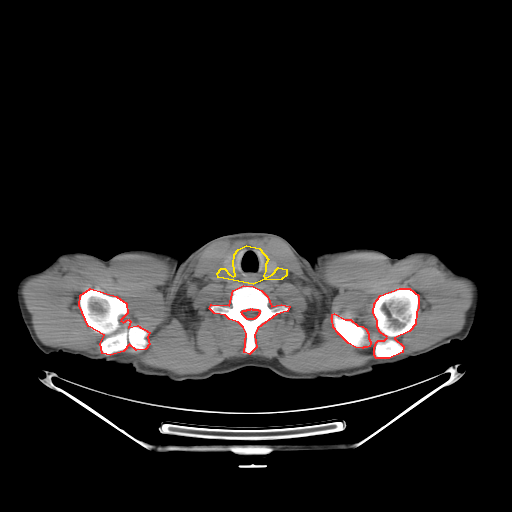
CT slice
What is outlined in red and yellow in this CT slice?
red: bones; yellow: middle of the neck.
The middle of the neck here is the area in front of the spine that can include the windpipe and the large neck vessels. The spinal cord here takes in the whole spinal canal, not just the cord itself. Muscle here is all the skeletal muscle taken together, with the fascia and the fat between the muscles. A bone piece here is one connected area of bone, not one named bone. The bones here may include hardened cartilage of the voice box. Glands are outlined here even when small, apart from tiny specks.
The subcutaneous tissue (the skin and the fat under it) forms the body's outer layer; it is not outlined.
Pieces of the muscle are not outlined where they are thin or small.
{"bones":[[[90,288],[116,296],[126,303],[127,313],[120,320],[123,322],[128,319],[130,321],[128,327],[137,325],[149,332],[147,337],[149,344],[145,349],[136,350],[129,344],[123,351],[110,355],[102,353],[100,343],[104,335],[88,326],[79,305],[80,295]],[[399,288],[409,288],[418,295],[418,307],[416,312],[415,324],[409,331],[394,338],[403,346],[402,352],[389,358],[376,358],[374,355],[374,348],[376,342],[378,340],[384,340],[387,337],[380,332],[377,327],[377,321],[373,312],[374,303],[380,295]],{"outer":[[243,285],[253,286],[261,290],[267,296],[271,306],[281,304],[289,306],[287,311],[276,314],[257,328],[254,335],[256,347],[249,354],[244,352],[246,333],[243,327],[238,322],[229,319],[225,315],[214,313],[209,308],[211,304],[229,305],[233,290]],"hole":[[251,308],[252,309],[257,309],[258,310],[259,310],[259,313],[258,314],[258,315],[255,318],[254,318],[253,319],[247,319],[242,314],[242,313],[241,312],[243,310],[246,310],[247,309],[250,309]]},[[334,313],[345,319],[350,319],[357,325],[362,326],[365,328],[368,333],[368,338],[370,341],[370,344],[369,346],[367,347],[363,347],[362,348],[355,347],[348,343],[339,334],[338,334],[338,333],[333,327],[332,319],[331,318],[332,317],[332,314]]],"middle_of_the_neck":[[[246,245],[259,248],[268,259],[265,264],[265,271],[263,275],[264,278],[272,274],[278,267],[286,269],[286,275],[281,279],[262,280],[253,284],[218,277],[217,273],[221,268],[224,268],[229,274],[233,276],[235,275],[233,264],[234,254],[238,249]]],"torso":[[[350,248],[373,248],[389,256],[369,304],[370,316],[377,330],[403,344],[430,351],[397,363],[377,365],[370,372],[341,378],[319,377],[314,380],[290,379],[282,377],[269,369],[257,367],[300,352],[313,340],[320,308],[315,270],[312,261],[318,253]],[[135,249],[177,256],[180,264],[171,291],[171,309],[177,321],[198,350],[241,368],[214,374],[202,380],[187,379],[176,382],[163,376],[136,373],[129,364],[101,359],[92,360],[77,355],[93,343],[118,333],[129,322],[131,308],[107,260],[119,252]]],"head_and_neck":[[[245,231],[257,231],[277,234],[285,238],[298,252],[311,261],[314,270],[319,308],[312,340],[302,350],[270,362],[264,363],[256,367],[255,366],[241,367],[198,349],[178,321],[172,309],[172,291],[178,275],[181,261],[196,248],[213,238],[222,235]]],"muscle":[{"outer":[[264,236],[310,272],[349,252],[425,255],[472,285],[462,329],[403,355],[395,338],[415,326],[419,295],[380,294],[372,312],[386,338],[358,367],[298,373],[250,355],[258,328],[290,308],[253,285],[208,307],[242,327],[248,355],[192,374],[116,353],[150,344],[146,328],[121,320],[128,305],[116,295],[78,297],[103,335],[94,354],[43,344],[21,292],[64,257],[108,265],[128,253],[165,259],[174,288],[212,242]],"holes":[[[246,245],[255,246],[259,248],[269,260],[275,262],[278,267],[286,269],[287,270],[286,275],[281,279],[262,280],[253,284],[244,283],[242,281],[233,281],[222,279],[218,277],[217,273],[223,267],[224,259],[229,255],[232,254],[233,255],[238,249]],[[334,313],[345,319],[350,319],[357,325],[362,326],[365,328],[368,333],[368,338],[370,341],[370,344],[369,346],[367,347],[363,347],[362,348],[355,347],[348,343],[339,334],[338,334],[338,333],[333,327],[332,319],[331,318],[332,317],[332,314]]]}],"thyroid_glands":[[[232,254],[233,255],[233,260],[232,261],[232,264],[233,265],[233,269],[234,270],[234,275],[233,275],[232,274],[229,273],[228,272],[228,271],[224,267],[223,267],[223,262],[224,261],[224,259],[227,256],[228,256],[229,255],[231,255]],[[269,260],[275,262],[277,264],[277,267],[276,267],[275,268],[274,271],[272,273],[271,273],[269,275],[268,275],[267,276],[264,277],[264,275],[265,274],[265,272],[266,271],[266,264],[267,263],[267,262]]],"left_arm":[[[414,251],[433,252],[441,257],[450,267],[457,272],[467,274],[477,280],[480,287],[480,297],[473,324],[468,335],[463,340],[454,339],[450,343],[431,351],[425,350],[403,343],[382,333],[374,324],[371,316],[370,304],[373,294],[390,257],[400,258]]],"spinal_cord":[[[251,308],[252,309],[257,309],[258,310],[259,310],[259,313],[258,314],[258,315],[255,318],[254,318],[253,319],[247,319],[242,314],[242,313],[241,312],[243,310],[246,310],[247,309],[250,309]]],"right_arm":[[[67,252],[85,252],[106,260],[109,263],[130,308],[130,318],[126,325],[118,332],[105,336],[93,342],[76,355],[63,352],[52,352],[49,354],[45,354],[33,342],[21,317],[16,299],[16,286],[19,280],[23,276],[43,269],[51,263],[58,255]]]}